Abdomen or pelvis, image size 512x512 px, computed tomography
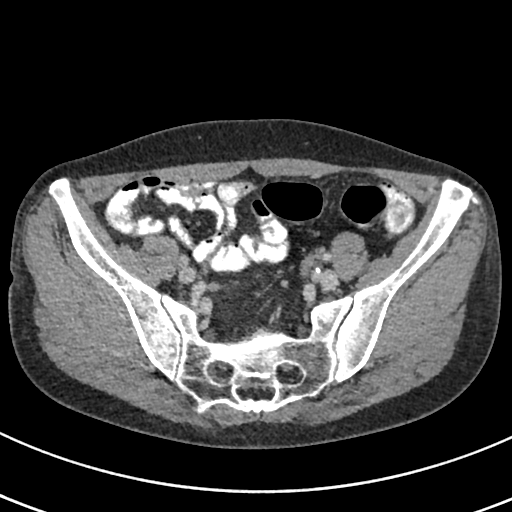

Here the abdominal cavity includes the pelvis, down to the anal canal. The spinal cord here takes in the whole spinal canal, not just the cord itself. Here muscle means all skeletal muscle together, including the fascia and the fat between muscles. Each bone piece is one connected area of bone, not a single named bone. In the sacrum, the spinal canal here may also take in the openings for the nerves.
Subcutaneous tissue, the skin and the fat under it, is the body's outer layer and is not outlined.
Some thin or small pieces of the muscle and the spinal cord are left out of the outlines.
{"spinal_cord":[[[284,363],[286,364],[287,363],[290,363],[293,365],[295,365],[299,367],[299,368],[302,372],[302,378],[300,381],[298,382],[290,382],[289,381],[285,382],[283,381],[280,377],[279,377],[278,373],[277,372],[277,367],[278,365],[280,364],[283,364]],[[219,362],[221,362],[224,364],[225,363],[227,363],[229,364],[232,370],[232,372],[230,376],[228,377],[227,380],[223,382],[219,380],[218,381],[215,380],[214,377],[210,375],[208,371],[209,369],[208,367],[210,364],[212,363],[218,363]]],"bones":[{"outer":[[61,177],[111,257],[192,310],[199,335],[219,343],[260,332],[306,339],[319,302],[352,295],[400,266],[443,180],[470,187],[479,203],[396,291],[368,360],[351,377],[258,415],[225,403],[198,413],[197,402],[149,360],[121,297],[76,252],[47,191]],"holes":[[[284,363],[286,364],[287,363],[290,363],[293,365],[295,365],[299,367],[299,368],[302,372],[302,378],[300,381],[298,382],[290,382],[289,381],[285,382],[283,381],[280,377],[279,377],[278,373],[277,372],[277,367],[278,365],[280,364],[283,364]],[[219,362],[221,362],[224,364],[225,363],[227,363],[229,364],[232,370],[232,372],[230,376],[228,377],[227,380],[223,382],[219,380],[218,381],[215,380],[214,377],[210,375],[208,371],[209,369],[208,367],[210,364],[212,363],[218,363]],[[254,386],[259,386],[261,387],[261,389],[263,391],[265,391],[267,389],[268,390],[272,390],[272,392],[268,397],[266,396],[259,396],[258,397],[255,397],[251,395],[243,397],[242,396],[242,394],[240,392],[240,390],[246,390],[248,388],[250,388]]]}],"torso":[[[256,118],[293,118],[347,129],[450,164],[483,186],[498,225],[502,299],[496,337],[479,374],[450,403],[413,422],[355,438],[279,449],[213,448],[159,438],[84,415],[45,395],[17,360],[7,309],[14,219],[33,182],[56,164],[154,131],[198,121]]],"muscle":[[[48,184],[75,252],[120,297],[148,360],[196,402],[198,414],[225,404],[258,416],[355,375],[369,360],[397,291],[480,203],[474,190],[483,200],[485,242],[459,339],[437,375],[324,423],[253,421],[204,430],[82,383],[42,350],[20,230],[24,213]],[[275,157],[308,158],[345,166],[383,167],[447,175],[451,177],[448,176],[443,179],[441,181],[436,204],[428,223],[415,246],[399,266],[378,282],[357,289],[352,294],[350,293],[352,286],[359,278],[344,282],[332,269],[329,249],[334,236],[343,231],[361,236],[369,255],[368,260],[372,262],[378,257],[389,256],[396,246],[422,223],[426,214],[425,205],[390,180],[359,171],[339,171],[317,177],[265,176],[250,166],[235,175],[215,180],[174,180],[151,173],[132,177],[96,203],[92,211],[115,244],[125,244],[133,251],[150,236],[167,236],[177,242],[183,253],[179,270],[172,280],[163,280],[155,288],[118,263],[99,241],[82,215],[72,194],[70,180],[65,176],[79,178],[197,162]]],"abdominal_cavity":[[[248,167],[265,177],[371,174],[425,214],[372,261],[361,235],[333,236],[333,273],[358,279],[349,293],[311,308],[306,338],[260,331],[209,341],[197,314],[157,289],[180,270],[178,242],[150,235],[136,250],[117,244],[93,207],[138,176],[215,181]]]}